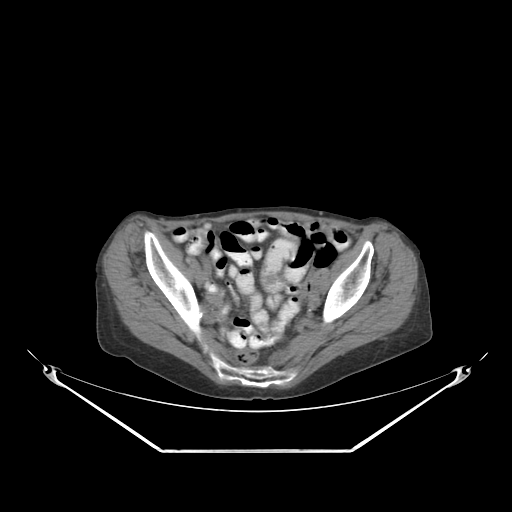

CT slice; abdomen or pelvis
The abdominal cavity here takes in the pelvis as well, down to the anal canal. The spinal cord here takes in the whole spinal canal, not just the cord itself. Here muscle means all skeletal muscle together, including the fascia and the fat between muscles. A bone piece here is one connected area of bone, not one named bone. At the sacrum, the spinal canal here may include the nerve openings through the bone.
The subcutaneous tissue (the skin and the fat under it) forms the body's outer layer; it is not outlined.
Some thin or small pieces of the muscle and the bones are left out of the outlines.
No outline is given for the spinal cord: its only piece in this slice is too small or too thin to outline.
The bones appear in 3 outlined pieces: piece 1: (146, 230) (152, 232) (156, 236) (167, 257) (187, 278) (193, 287) (197, 301) (200, 306) (200, 309) (203, 313) (200, 320) (200, 325) (202, 329) (200, 334) (200, 340) (196, 337) (181, 318) (174, 307) (154, 282) (148, 271) (145, 262) (145, 251) (144, 250) (144, 232); piece 2: (367, 240) (370, 241) (373, 245) (373, 255) (371, 259) (370, 278) (369, 279) (369, 282) (365, 290) (356, 303) (348, 310) (347, 310) (341, 316) (329, 323) (324, 323) (322, 319) (322, 310) (323, 309) (324, 302) (330, 286) (334, 280) (358, 256) (362, 249) (364, 242); piece 3: (209, 351) (213, 352) (222, 360) (233, 366) (269, 365) (273, 368) (279, 370) (292, 368) (297, 371) (297, 374) (293, 379) (283, 385) (278, 385) (272, 383) (267, 387) (243, 385) (237, 379) (222, 380) (220, 379) (216, 370) (212, 365) (212, 360) (209, 355). The abdominal cavity is outlined by (258, 215) (327, 222) (347, 230) (355, 236) (356, 240) (349, 249) (338, 256) (330, 268) (329, 287) (320, 320) (274, 351) (269, 357) (268, 364) (244, 365) (211, 334) (203, 321) (204, 313) (192, 284) (201, 270) (198, 258) (178, 249) (166, 235) (182, 226) (223, 222). The muscle is outlined by (252, 211) (298, 212) (363, 225) (374, 221) (387, 223) (414, 252) (417, 261) (418, 290) (406, 320) (385, 338) (336, 357) (295, 386) (268, 388) (272, 384) (283, 386) (298, 374) (292, 367) (279, 369) (270, 365) (274, 352) (321, 319) (324, 324) (338, 319) (360, 299) (370, 282) (374, 245) (365, 240) (357, 256) (330, 285) (332, 266) (357, 240) (353, 233) (319, 219) (258, 214) (182, 225) (165, 235) (178, 250) (197, 258) (200, 270) (191, 283) (168, 257) (157, 236) (148, 229) (143, 232) (147, 271) (180, 318) (199, 341) (202, 319) (210, 334) (243, 365) (233, 365) (209, 350) (211, 365) (219, 379) (257, 387) (219, 385) (190, 364) (142, 342) (122, 322) (103, 272) (102, 258) (116, 232) (136, 214) (183, 220). The torso is outlined by (270, 205) (303, 206) (356, 218) (381, 216) (405, 232) (419, 247) (426, 269) (433, 330) (428, 342) (315, 392) (289, 399) (256, 398) (251, 401) (218, 399) (194, 393) (125, 357) (113, 356) (101, 349) (95, 331) (94, 265) (102, 244) (125, 215) (139, 209) (182, 215).